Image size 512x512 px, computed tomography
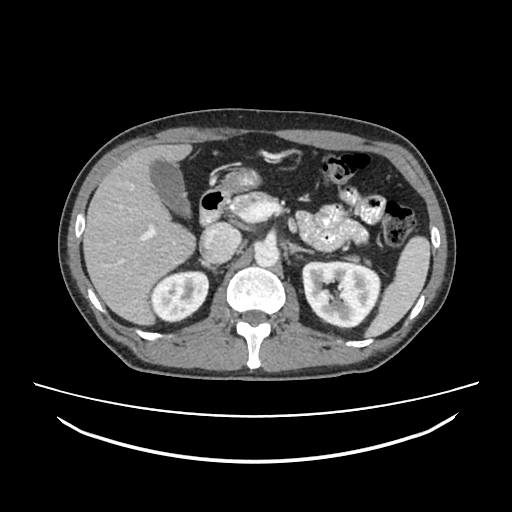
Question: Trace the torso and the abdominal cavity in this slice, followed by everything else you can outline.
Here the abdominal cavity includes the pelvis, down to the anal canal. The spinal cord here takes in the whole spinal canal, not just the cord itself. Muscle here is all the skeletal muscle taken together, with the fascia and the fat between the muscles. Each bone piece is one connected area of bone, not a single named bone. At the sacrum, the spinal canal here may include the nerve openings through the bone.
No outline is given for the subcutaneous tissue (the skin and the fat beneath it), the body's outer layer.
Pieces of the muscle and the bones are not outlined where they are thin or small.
Answer: The torso is outlined by (242, 381) (308, 380) (369, 372) (401, 351) (442, 307) (455, 270) (453, 220) (432, 170) (419, 150) (403, 135) (372, 122) (322, 112) (252, 108) (195, 110) (156, 118) (120, 132) (102, 145) (76, 176) (59, 220) (57, 255) (66, 289) (95, 335) (127, 366) (140, 372). The abdominal cavity is outlined by (343, 339) (376, 339) (397, 329) (422, 293) (431, 270) (425, 204) (385, 157) (248, 133) (231, 140) (183, 141) (137, 150) (96, 186) (87, 202) (82, 263) (98, 298) (120, 323) (174, 333) (209, 315) (216, 286) (250, 246) (252, 267) (282, 266) (298, 302) (298, 321). The spinal cord is outlined by (254, 326) (255, 325) (258, 324) (260, 322) (262, 322) (263, 321) (265, 321) (266, 320) (267, 320) (268, 319) (268, 317) (264, 313) (263, 313) (260, 311) (255, 311) (254, 310) (253, 310) (252, 311) (247, 311) (246, 312) (243, 313) (241, 315) (241, 319) (250, 323). The muscle is outlined by (250, 373) (260, 371) (269, 373) (276, 373) (281, 371) (297, 370) (313, 366) (345, 365) (364, 360) (373, 355) (376, 352) (383, 351) (400, 341) (410, 330) (412, 325) (424, 313) (426, 308) (436, 296) (436, 293) (440, 288) (441, 283) (443, 280) (443, 275) (445, 270) (446, 258) (447, 257) (447, 241) (446, 240) (445, 226) (443, 221) (442, 213) (434, 191) (432, 189) (432, 187) (418, 161) (406, 148) (399, 144) (388, 141) (372, 140) (351, 133) (334, 131) (328, 129) (300, 129) (299, 128) (294, 128) (293, 129) (267, 130) (266, 129) (234, 128) (226, 126) (223, 127) (222, 126) (207, 127) (206, 126) (192, 126) (189, 125) (188, 126) (172, 127) (161, 130) (152, 135) (146, 135) (130, 139) (117, 145) (114, 148) (108, 151) (92, 167) (83, 181) (74, 202) (67, 234) (67, 253) (68, 254) (68, 264) (71, 271) (72, 277) (75, 280) (79, 291) (87, 301) (89, 307) (96, 318) (97, 322) (104, 332) (114, 340) (127, 346) (138, 358) (152, 364) (158, 364) (167, 367) (177, 367) (186, 369) (201, 368) (205, 370) (215, 370) (216, 371) (235, 371) (244, 369) (247, 372); inner edge: (249, 369) (260, 366) (259, 347) (285, 302) (282, 282) (266, 268) (277, 263) (297, 299) (298, 321) (347, 339) (346, 346) (366, 346) (421, 310) (439, 232) (435, 226) (428, 228) (422, 198) (385, 157) (325, 150) (267, 133) (153, 145) (118, 164) (96, 186) (86, 213) (77, 215) (75, 236) (82, 237) (90, 301) (147, 340) (170, 337) (209, 315) (216, 286) (250, 246) (252, 265) (236, 272) (226, 289) (227, 303) (236, 314) (235, 331) (247, 344). The bones appear in 6 outlined pieces: piece 1: (249, 369) (256, 369) (260, 366) (259, 347) (262, 341) (270, 335) (275, 325) (274, 315) (283, 306) (286, 298) (283, 284) (275, 274) (265, 268) (252, 268) (251, 266) (236, 272) (230, 279) (226, 289) (227, 303) (236, 314) (235, 331) (247, 344) (248, 359) (246, 364); inner edge: (254, 326) (255, 325) (258, 324) (260, 322) (262, 322) (263, 321) (265, 321) (266, 320) (267, 320) (268, 319) (268, 317) (264, 313) (263, 313) (260, 311) (255, 311) (254, 310) (253, 310) (252, 311) (247, 311) (246, 312) (243, 313) (241, 315) (241, 319) (250, 323); piece 2: (147, 340) (155, 340) (159, 338) (167, 338) (168, 337) (170, 337) (171, 335) (170, 334) (163, 334) (162, 333) (159, 333) (158, 332) (152, 332) (151, 331) (144, 331) (143, 330) (141, 330) (140, 329) (135, 328) (134, 329) (135, 332) (142, 338) (144, 339) (146, 339); piece 3: (76, 238) (80, 238) (80, 237) (81, 236) (81, 235) (83, 232) (83, 230) (85, 227) (85, 216) (84, 215) (84, 214) (83, 214) (82, 213) (79, 213) (77, 215) (77, 217) (76, 218) (76, 221) (75, 222) (75, 236) (76, 237); piece 4: (405, 323) (406, 323) (409, 320) (411, 320) (413, 319) (419, 313) (419, 312) (421, 310) (423, 306) (423, 304) (424, 303) (424, 300) (425, 299) (425, 297) (423, 294) (422, 294) (420, 296) (420, 297) (416, 302) (415, 305) (412, 308) (407, 318) (407, 320); piece 5: (102, 313) (105, 313) (106, 312) (106, 311) (100, 303) (99, 300) (97, 298) (97, 297) (96, 296) (95, 293) (93, 291) (92, 288) (91, 287) (89, 287) (87, 289) (87, 293) (88, 294) (88, 297) (89, 298) (90, 301) (92, 303) (92, 304) (100, 312) (101, 312); piece 6: (359, 348) (360, 347) (363, 347) (364, 346) (366, 346) (367, 345) (368, 345) (370, 343) (371, 343) (373, 341) (373, 340) (372, 339) (365, 339) (364, 340) (348, 340) (347, 341) (346, 341) (345, 342) (345, 343) (344, 344) (346, 346) (351, 346) (352, 347) (358, 347).